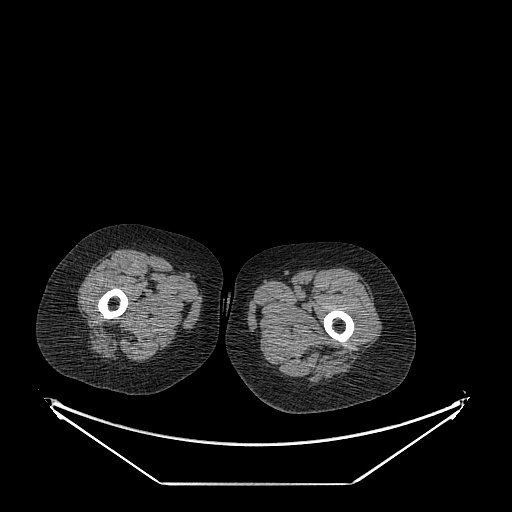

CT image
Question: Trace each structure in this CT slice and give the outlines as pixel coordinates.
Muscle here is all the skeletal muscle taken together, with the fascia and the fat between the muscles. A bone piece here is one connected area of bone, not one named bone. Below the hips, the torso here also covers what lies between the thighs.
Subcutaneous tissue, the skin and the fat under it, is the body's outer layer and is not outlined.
Answer: Outlines (x, y in pixels):
left leg: [[318,241],[352,243],[371,251],[385,263],[397,280],[410,308],[416,330],[416,349],[405,379],[390,392],[369,401],[331,411],[288,413],[275,409],[256,397],[232,366],[226,353],[224,342],[226,317],[230,306],[234,280],[240,268],[248,259],[273,246]]
muscle 1: [[333,263],[341,264],[356,271],[369,284],[381,318],[383,331],[377,341],[362,356],[355,369],[344,379],[335,384],[323,386],[307,392],[284,385],[276,380],[267,372],[266,369],[252,353],[244,329],[248,301],[256,284],[269,274],[280,270],[314,268]] with a hole at [[335,310],[344,310],[348,314],[349,314],[351,316],[351,317],[354,322],[354,330],[353,331],[352,334],[349,337],[349,338],[345,342],[339,342],[337,340],[332,338],[326,332],[326,331],[323,326],[323,318],[324,317],[324,316],[329,311],[334,311]]
muscle 2: [[116,247],[130,247],[148,250],[160,254],[184,267],[195,275],[203,296],[202,308],[197,327],[187,336],[178,341],[161,358],[136,369],[120,369],[109,366],[107,364],[93,359],[88,354],[86,350],[84,326],[77,308],[75,293],[88,268],[104,252]] with a hole at [[113,287],[118,287],[120,288],[126,294],[128,298],[128,304],[127,305],[127,307],[125,311],[122,314],[115,318],[110,318],[109,319],[106,319],[104,318],[103,315],[98,310],[97,308],[97,302],[99,298],[106,291]]
torso: [[232,288],[232,291],[231,292],[231,296],[230,297],[230,301],[229,302],[229,306],[227,310],[227,313],[226,314],[226,316],[224,313],[222,313],[222,301],[223,300],[223,294],[223,295],[225,297],[227,295],[227,293],[230,290],[231,290]]
bones 1: [[335,310],[344,310],[348,314],[349,314],[351,316],[351,317],[354,322],[354,330],[353,331],[352,334],[349,337],[349,338],[345,342],[339,342],[337,340],[332,338],[326,332],[326,331],[323,326],[323,318],[324,317],[324,316],[329,311],[334,311]]
bones 2: [[113,287],[118,287],[120,288],[126,294],[128,298],[128,304],[127,305],[127,307],[125,311],[122,314],[115,318],[110,318],[109,319],[106,319],[104,318],[103,315],[98,310],[97,308],[97,302],[99,298],[106,291]]
right leg: [[120,223],[144,224],[188,236],[202,243],[213,253],[223,272],[224,283],[220,328],[214,350],[201,366],[191,374],[170,387],[152,394],[125,394],[97,388],[64,376],[47,363],[40,353],[35,338],[38,304],[46,282],[56,265],[87,234],[99,228]]